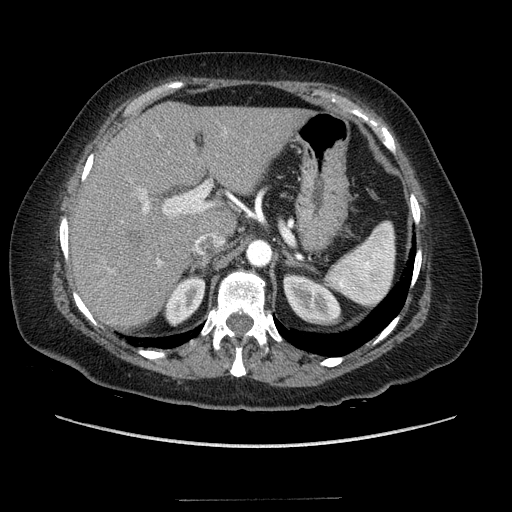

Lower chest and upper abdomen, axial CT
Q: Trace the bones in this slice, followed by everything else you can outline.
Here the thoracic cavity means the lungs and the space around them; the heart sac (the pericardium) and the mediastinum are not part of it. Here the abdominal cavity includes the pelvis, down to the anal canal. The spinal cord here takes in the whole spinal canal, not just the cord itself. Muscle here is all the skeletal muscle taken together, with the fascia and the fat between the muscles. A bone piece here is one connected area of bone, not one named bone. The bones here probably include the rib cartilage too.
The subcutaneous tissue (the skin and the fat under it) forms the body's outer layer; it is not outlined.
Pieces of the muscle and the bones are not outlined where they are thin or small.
A: The bones appear in 10 outlined pieces: piece 1: 239,269 253,270 265,281 265,308 283,340 278,342 269,335 269,350 264,354 251,337 242,351 246,373 236,377 230,373 235,357 230,338 225,336 220,347 214,349 212,333 199,334 208,313 216,306 221,280, around a hole outlined by 233,313 237,313 238,314 245,314 249,316 252,319 253,321 253,323 251,327 240,337 239,337 236,334 236,333 234,332 227,325 227,323 226,322 227,319 230,316 230,315 231,315; piece 2: 315,89 324,89 327,91 333,91 341,96 346,97 358,105 371,117 384,125 387,128 394,140 396,151 395,155 393,155 382,144 374,132 359,117 352,113 344,111 325,98 322,98 319,96 312,96 311,93; piece 3: 176,80 183,81 185,83 185,85 183,87 177,89 173,92 163,93 160,95 157,99 149,103 147,103 141,107 135,113 131,115 123,116 122,114 125,108 128,104 135,98 159,85 171,81 175,81; piece 4: 62,215 65,215 66,216 67,218 67,221 68,222 68,261 66,261 65,260 64,258 64,256 63,255 63,253 62,252 62,250 61,249 61,247 60,246 60,239 59,238 59,226 60,225 60,219; piece 5: 74,290 77,292 81,300 83,302 83,303 85,305 87,309 96,320 96,321 99,325 97,326 95,326 80,311 80,310 77,307 75,303 75,301 73,298 73,295 72,294 72,292; piece 6: 398,314 400,315 400,318 398,322 396,324 394,328 390,332 390,333 385,338 384,338 377,344 375,345 372,345 372,341 375,338 375,337 378,334 379,334 380,332; piece 7: 419,247 421,248 422,251 421,265 420,266 420,269 419,270 419,273 417,279 412,288 410,289 409,288 410,287 410,283 411,282 411,278 413,272 413,266 414,265 415,254 417,248; piece 8: 138,347 142,347 143,348 151,348 155,350 159,350 160,349 164,351 164,352 166,354 166,356 163,358 157,358 154,360 152,359 149,359 146,357 144,357 142,355 139,354 137,352 137,348; piece 9: 411,193 413,193 415,195 417,199 417,201 419,204 419,207 420,208 420,217 419,218 419,222 417,225 415,225 414,224 414,222 413,221 413,218 412,217 412,214 410,210 410,204 409,203 409,196; piece 10: 90,153 93,153 94,154 94,157 93,158 93,163 91,166 91,168 90,169 87,176 85,178 84,181 83,181 82,182 81,181 81,175 82,174 82,171 83,170 83,167 85,164 85,162 87,159 87,157. The abdominal cavity is outlined by 246,84 333,104 373,132 397,166 408,196 413,231 401,277 359,325 317,335 286,327 266,308 266,281 253,269 234,269 220,280 215,306 191,331 120,337 88,309 68,262 68,220 94,158 128,116 147,104. The muscle is outlined by 176,75 329,83 348,90 390,125 428,203 425,212 432,290 422,326 378,358 322,384 275,387 240,378 247,373 243,351 251,338 264,355 270,350 269,336 278,343 285,340 324,357 318,364 328,368 339,365 345,355 370,340 373,339 371,345 375,346 385,339 399,322 399,313 420,273 423,251 416,246 414,225 420,222 421,208 416,195 413,192 408,195 402,174 390,154 395,156 397,151 388,128 346,96 315,88 310,95 330,103 316,103 278,87 246,83 159,98 183,88 186,83 179,79 159,84 130,101 121,114 127,117 95,155 88,154 69,218 62,214 59,219 59,246 69,265 75,288 71,292 74,303 95,327 101,324 137,347 139,355 153,361 165,358 164,350 191,342 198,335 211,333 214,350 227,337 234,352 229,373 235,378 179,383 115,356 66,320 53,301 51,289 56,210 64,184 85,145 110,112 151,84. The spinal cord is outlined by 233,313 237,313 238,314 245,314 249,316 252,319 253,321 253,323 251,327 240,337 239,337 236,334 236,333 234,332 227,325 227,323 226,322 227,319 230,316 230,315 231,315. The torso is outlined by 200,51 269,52 342,64 379,79 409,105 461,203 481,261 476,328 455,360 365,400 347,399 337,406 296,411 220,411 158,401 99,385 26,343 11,303 9,241 14,217 29,185 76,114 108,79 148,59. The thoracic cavity appears in 2 outlined pieces: piece 1: 413,232 415,236 416,249 409,289 405,301 399,312 373,338 344,355 326,357 310,353 296,347 284,339 275,324 273,316 288,329 302,334 317,336 336,335 359,326 383,301 394,285 401,279 403,270 408,261; piece 2: 202,323 203,324 199,331 199,333 196,336 192,337 188,341 186,341 180,345 171,348 161,349 155,347 135,346 132,345 126,340 126,338 129,337 139,339 143,338 161,338 167,336 182,334 186,332 191,332.